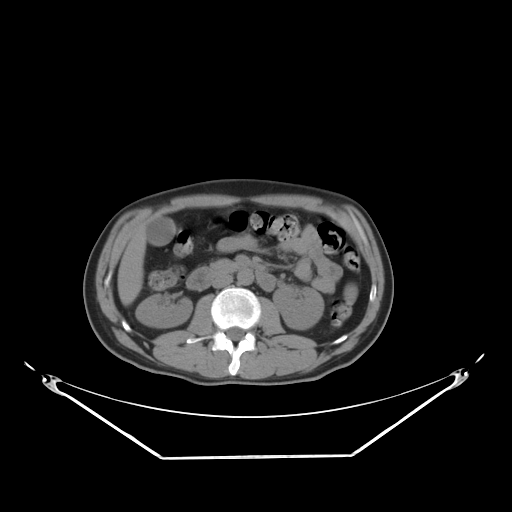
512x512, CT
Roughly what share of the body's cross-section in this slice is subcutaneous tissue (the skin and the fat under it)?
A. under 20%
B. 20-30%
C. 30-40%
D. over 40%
A. under 20%
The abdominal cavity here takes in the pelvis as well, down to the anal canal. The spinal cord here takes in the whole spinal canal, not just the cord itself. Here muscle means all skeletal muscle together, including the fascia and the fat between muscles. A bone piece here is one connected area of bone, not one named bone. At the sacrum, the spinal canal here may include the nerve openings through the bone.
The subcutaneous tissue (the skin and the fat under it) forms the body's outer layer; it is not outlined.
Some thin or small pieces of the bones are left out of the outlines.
The spinal cord is outlined by [[232,327],[238,327],[239,328],[241,328],[242,329],[243,329],[245,331],[245,333],[244,334],[244,335],[243,336],[243,337],[238,341],[233,341],[230,338],[229,338],[227,336],[227,335],[225,332],[225,331],[226,330],[227,330],[229,328],[231,328]]. The abdominal cavity is outlined by [[240,202],[300,208],[327,217],[347,232],[370,273],[365,310],[352,329],[321,343],[304,335],[288,333],[271,299],[235,285],[226,286],[215,295],[208,293],[201,296],[183,329],[148,338],[131,327],[116,306],[112,275],[136,232],[162,215]]. The bones appear in 4 outlined pieces: piece 1: [[230,286],[252,291],[261,306],[259,320],[251,329],[256,339],[255,349],[244,351],[240,355],[239,368],[235,375],[228,371],[231,361],[229,352],[212,350],[211,338],[193,343],[186,342],[188,338],[209,336],[217,330],[210,313],[211,303],[222,289]] with a hole at [[232,327],[238,327],[239,328],[241,328],[242,329],[243,329],[245,331],[245,333],[244,334],[244,335],[243,336],[243,337],[238,341],[233,341],[230,338],[229,338],[227,336],[227,335],[225,332],[225,331],[226,330],[227,330],[229,328],[231,328]]; piece 2: [[351,214],[352,214],[357,219],[357,220],[359,222],[359,223],[367,238],[367,240],[368,241],[368,245],[367,246],[366,246],[363,243],[362,240],[360,238],[360,237],[358,234],[358,232],[353,224],[353,222],[352,221],[352,218],[351,217]]; piece 3: [[343,334],[347,334],[347,337],[343,341],[342,341],[341,342],[340,342],[339,343],[338,343],[337,344],[332,344],[332,341],[333,341],[334,340],[335,340],[337,338],[338,338],[340,336],[341,336]]; piece 4: [[123,319],[124,319],[127,322],[127,323],[130,326],[130,327],[132,329],[132,330],[130,332],[129,332],[128,331],[127,331],[126,330],[125,330],[124,329],[124,328],[122,326],[122,324],[121,323],[121,321]]. The muscle is outlined by [[197,194],[295,194],[338,200],[355,207],[372,231],[384,273],[379,309],[358,343],[317,370],[296,376],[261,380],[236,375],[241,355],[256,349],[252,329],[262,314],[259,297],[273,302],[286,333],[310,338],[318,344],[337,345],[360,322],[368,300],[372,303],[377,294],[366,261],[342,226],[300,207],[240,201],[190,207],[155,217],[135,232],[112,274],[108,272],[103,279],[105,288],[111,279],[123,329],[129,333],[134,330],[148,339],[185,329],[198,300],[212,294],[209,313],[216,330],[209,335],[188,337],[185,342],[211,339],[212,351],[228,352],[230,375],[209,378],[184,372],[159,365],[122,345],[107,324],[96,297],[96,269],[108,235],[118,218],[130,209]]; inner edge: [[351,214],[352,214],[357,219],[357,220],[359,222],[359,223],[367,238],[367,240],[368,241],[368,245],[367,246],[366,246],[363,243],[362,240],[360,238],[360,237],[358,234],[358,232],[353,224],[353,222],[352,221],[352,218],[351,217]]. The torso is outlined by [[221,177],[259,177],[316,185],[352,197],[369,213],[390,257],[394,277],[394,295],[388,319],[381,333],[353,363],[319,379],[294,384],[200,385],[138,368],[113,355],[97,339],[86,316],[82,280],[89,253],[111,216],[125,204],[146,194],[182,184]].